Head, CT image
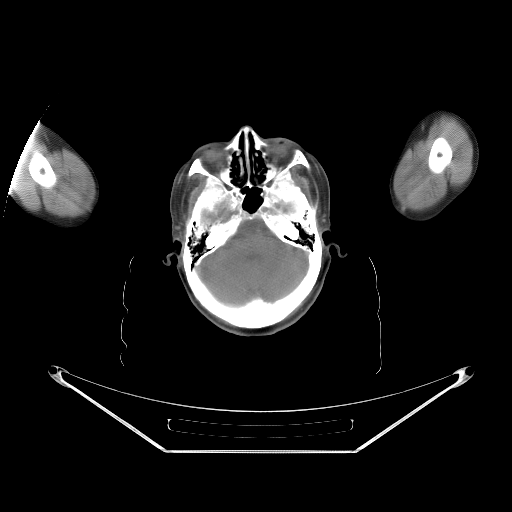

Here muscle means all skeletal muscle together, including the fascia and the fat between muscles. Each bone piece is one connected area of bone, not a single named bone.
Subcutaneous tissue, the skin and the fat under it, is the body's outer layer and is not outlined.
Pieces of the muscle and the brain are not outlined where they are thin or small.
Outlines:
bones 1: [[245,126],[277,166],[295,148],[305,155],[310,169],[296,164],[290,173],[309,203],[317,202],[322,239],[310,292],[281,321],[259,328],[234,326],[203,307],[182,259],[186,221],[206,179],[189,177],[189,167],[200,157],[217,172],[226,164],[224,147]], around holes outlined by [[254,220],[261,220],[265,227],[280,241],[305,252],[307,254],[306,271],[299,282],[288,293],[273,301],[267,301],[257,296],[239,305],[225,303],[218,299],[212,293],[200,277],[198,273],[198,268],[204,258],[223,246],[238,232],[240,226],[244,222]] and by [[245,187],[249,189],[251,189],[252,188],[257,188],[260,190],[258,193],[258,195],[261,198],[261,201],[259,203],[259,204],[254,209],[252,210],[250,209],[248,209],[246,207],[244,207],[244,201],[246,197],[246,193],[242,191],[242,188],[244,188]] and by [[222,204],[224,204],[223,205],[225,208],[228,211],[229,211],[230,213],[227,218],[225,219],[222,219],[221,217],[217,217],[215,219],[211,220],[208,217],[204,216],[204,214],[205,213],[206,214],[213,214],[214,215],[216,215],[219,212],[219,207]] and by [[259,152],[260,154],[259,155],[263,160],[263,163],[264,164],[264,167],[265,168],[265,170],[263,173],[263,176],[264,178],[262,180],[259,180],[259,177],[263,173],[262,172],[262,168],[260,167],[258,162],[256,160],[256,158],[257,158],[259,155]] and by [[234,155],[236,156],[237,158],[237,164],[235,165],[235,167],[236,168],[237,167],[238,169],[238,172],[237,174],[235,175],[233,175],[232,176],[231,174],[231,172],[232,171],[232,162],[233,161],[233,158],[234,157],[233,156]]
bones 2: [[37,148],[48,160],[50,165],[52,167],[52,168],[56,175],[56,183],[55,184],[55,185],[51,188],[45,188],[44,187],[42,187],[39,184],[38,184],[31,177],[31,176],[29,173],[29,171],[28,170],[28,162],[29,161],[30,158],[36,151]]
bones 3: [[439,136],[441,136],[445,138],[449,143],[452,149],[452,156],[451,157],[451,160],[449,164],[441,173],[434,173],[432,172],[429,169],[428,167],[428,157],[429,156],[429,152],[431,149],[431,146],[433,143],[433,141],[437,137]]
left arm: [[438,105],[445,106],[459,112],[471,125],[476,135],[479,146],[478,167],[476,174],[467,189],[450,203],[437,216],[430,220],[423,222],[410,221],[402,217],[393,208],[391,204],[389,190],[388,189],[390,174],[405,143],[405,141],[416,121],[428,109]]
head: [[244,124],[259,136],[292,139],[318,159],[330,187],[331,230],[324,236],[346,253],[340,257],[330,247],[327,281],[303,317],[260,336],[216,327],[182,289],[176,257],[168,266],[162,263],[179,246],[171,240],[169,211],[177,170],[197,147],[227,140]], around holes outlined by [[245,187],[249,189],[251,189],[252,188],[257,188],[260,190],[258,193],[258,195],[261,198],[261,201],[259,203],[259,204],[254,209],[252,210],[250,209],[248,209],[246,207],[244,207],[244,201],[246,197],[246,193],[242,191],[242,188],[244,188]] and by [[259,152],[260,154],[259,155],[263,160],[263,163],[264,164],[264,167],[265,168],[265,170],[263,173],[263,176],[264,178],[262,180],[259,180],[259,177],[263,173],[262,172],[262,168],[260,167],[258,162],[256,160],[256,158],[257,158],[259,155]] and by [[234,155],[236,156],[237,158],[237,164],[235,165],[235,167],[236,168],[237,167],[238,169],[238,172],[237,174],[235,175],[233,175],[232,176],[231,174],[231,172],[232,171],[232,162],[233,161],[233,158],[234,157],[233,156]]
brain 1: [[254,220],[261,220],[265,227],[280,241],[305,252],[307,254],[306,271],[299,282],[288,293],[273,301],[267,301],[257,296],[239,305],[225,303],[218,299],[212,293],[200,277],[198,273],[198,268],[204,258],[223,246],[238,232],[240,226],[244,222]]
brain 2: [[222,204],[224,204],[223,205],[225,208],[228,211],[229,211],[230,213],[227,218],[225,219],[222,219],[221,217],[217,217],[215,219],[211,220],[208,217],[204,216],[204,214],[205,213],[206,214],[213,214],[214,215],[216,215],[219,212],[219,207]]
muscle 1: [[441,114],[447,114],[455,117],[467,131],[473,146],[471,174],[468,180],[461,187],[449,192],[440,202],[433,207],[424,211],[416,212],[414,214],[404,211],[399,207],[395,199],[393,190],[395,172],[406,150],[419,135],[421,127],[431,123],[436,117]]; inner edge: [[439,136],[441,136],[445,138],[449,143],[452,149],[452,156],[451,157],[451,160],[449,164],[441,173],[434,173],[432,172],[429,169],[428,167],[428,157],[429,156],[429,152],[431,149],[431,146],[433,143],[433,141],[437,137]]
muscle 2: [[38,122],[45,129],[51,140],[60,147],[65,147],[73,152],[85,164],[92,176],[95,185],[95,197],[90,209],[81,216],[73,218],[58,217],[48,213],[43,209],[37,212],[32,211],[26,208],[21,203],[12,190],[11,181],[17,162],[24,145]], around a hole outlined by [[37,148],[48,160],[50,165],[52,167],[52,168],[56,175],[56,183],[55,184],[55,185],[51,188],[45,188],[44,187],[42,187],[39,184],[38,184],[31,177],[31,176],[29,173],[29,171],[28,170],[28,162],[29,161],[30,158],[36,151]]
muscle 3: [[307,157],[311,159],[319,171],[319,179],[321,182],[322,211],[325,219],[321,224],[321,234],[318,230],[316,218],[318,202],[316,201],[313,204],[310,203],[301,187],[295,182],[291,173],[291,169],[296,165],[301,165],[309,171],[311,169],[311,165]]
muscle 4: [[188,166],[189,166],[186,175],[189,178],[194,174],[200,174],[204,176],[205,179],[204,185],[196,197],[192,206],[190,215],[185,221],[184,240],[182,243],[179,233],[180,232],[177,228],[179,220],[178,219],[178,201],[180,195],[179,179],[181,173]]
muscle 5: [[316,283],[315,288],[314,289],[312,294],[307,300],[307,301],[302,306],[302,307],[299,310],[298,310],[292,316],[291,316],[289,318],[282,321],[284,319],[285,319],[302,303],[302,302],[306,298],[306,297],[311,292],[311,291],[313,289],[313,288]]
right arm: [[38,122],[48,125],[63,137],[89,163],[97,177],[99,183],[100,195],[95,211],[91,218],[85,224],[76,229],[71,230],[61,229],[45,221],[37,219],[24,212],[8,196],[13,191],[11,187],[11,181],[17,165],[17,162],[23,150],[24,145]]